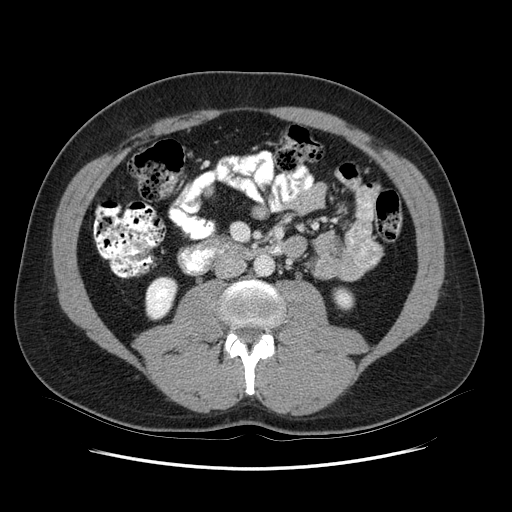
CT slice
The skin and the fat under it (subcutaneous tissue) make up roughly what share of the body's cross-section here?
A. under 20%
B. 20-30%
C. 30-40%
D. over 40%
Answer: C. 30-40%
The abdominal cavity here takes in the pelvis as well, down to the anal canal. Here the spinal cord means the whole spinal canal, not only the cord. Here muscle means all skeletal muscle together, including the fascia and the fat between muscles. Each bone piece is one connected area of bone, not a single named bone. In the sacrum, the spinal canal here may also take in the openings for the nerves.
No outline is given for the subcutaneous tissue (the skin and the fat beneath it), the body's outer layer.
Outlined structures:
muscle: 292 416; 333 403; 372 362; 428 321; 444 281; 445 246; 438 201; 421 171; 342 118; 299 106; 245 105; 164 117; 86 163; 68 183; 52 229; 57 297; 67 316; 99 346; 133 365; 167 399; 194 412; 237 409; 256 399; 270 411 with a hole at 249 395; 284 321; 278 280; 309 281; 330 323; 377 343; 411 287; 416 246; 399 190; 367 154; 342 136; 241 111; 130 150; 86 211; 78 265; 96 311; 136 353; 135 336; 169 323; 190 287; 226 282; 224 350; 241 358
bones: 249 395; 254 393; 256 363; 259 359; 274 354; 274 340; 271 329; 283 322; 285 315; 283 298; 277 289; 266 281; 254 278; 231 283; 224 289; 218 300; 221 318; 230 327; 224 350; 230 357; 238 355; 241 358; 245 370; 245 392, around a hole outlined by 248 344; 252 344; 256 342; 260 338; 260 336; 262 334; 263 332; 263 330; 262 330; 259 327; 250 327; 249 326; 246 326; 243 328; 239 328; 237 329; 236 330; 236 333; 238 335; 240 339; 242 341
torso: 293 435; 350 435; 390 425; 441 403; 471 372; 483 340; 484 302; 448 177; 432 149; 407 122; 367 95; 333 80; 293 72; 208 70; 140 86; 80 126; 39 187; 13 299; 21 353; 35 376; 66 405; 118 427; 201 432; 251 424
spinal cord: 248 344; 252 344; 256 342; 260 338; 260 336; 262 334; 263 332; 263 330; 262 330; 259 327; 250 327; 249 326; 246 326; 243 328; 239 328; 237 329; 236 330; 236 333; 238 335; 240 339; 242 341
abdominal cavity: 136 353; 130 343; 138 333; 169 323; 183 294; 212 278; 228 285; 253 277; 274 285; 309 281; 322 294; 330 323; 377 343; 416 271; 414 227; 399 190; 342 136; 260 112; 223 114; 137 145; 94 196; 78 240; 80 273; 96 311